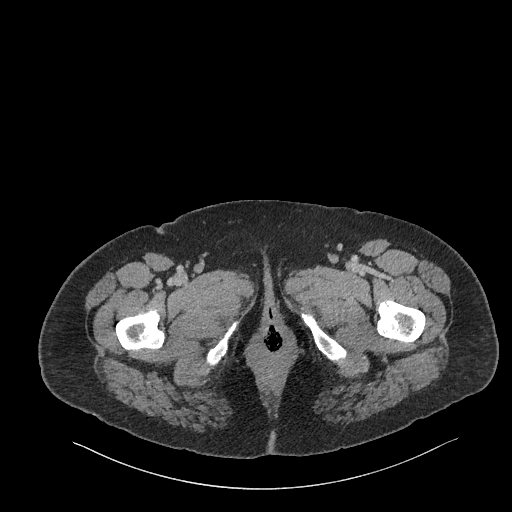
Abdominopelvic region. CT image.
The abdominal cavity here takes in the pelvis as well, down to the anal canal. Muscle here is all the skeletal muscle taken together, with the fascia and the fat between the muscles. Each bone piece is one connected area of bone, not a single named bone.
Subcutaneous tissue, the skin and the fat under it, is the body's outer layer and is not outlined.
The muscle appears in 3 outlined pieces: piece 1: 154 250; 198 274; 218 268; 238 269; 250 275; 257 284; 257 298; 241 324; 232 359; 223 376; 221 391; 232 403; 234 413; 229 423; 221 429; 191 432; 128 407; 108 395; 92 367; 96 350; 84 330; 87 292; 110 266; 132 254, around holes outlined by 150 309; 155 309; 159 314; 158 326; 163 330; 165 335; 163 344; 161 347; 156 349; 152 349; 151 348; 142 348; 138 350; 127 350; 125 349; 120 344; 118 340; 115 332; 115 324; 120 319; 124 317; 132 316; 140 312; 145 312 and by 235 320; 237 320; 238 321; 238 323; 234 331; 228 340; 228 347; 225 355; 222 357; 217 364; 213 366; 210 366; 208 365; 205 361; 205 356; 207 351; 211 347; 214 346; 217 343; 217 342; 223 336; 224 333; 230 324; piece 2: 373 238; 386 238; 412 246; 449 276; 453 301; 453 321; 446 334; 449 361; 434 385; 393 407; 345 425; 328 423; 310 409; 328 374; 313 356; 298 317; 286 305; 281 294; 281 280; 289 270; 297 267; 319 263; 341 267; 362 242 with holes at 388 299; 392 299; 398 303; 417 308; 421 310; 424 313; 425 315; 425 325; 424 326; 424 329; 420 336; 417 339; 412 342; 403 342; 399 340; 384 337; 378 333; 376 326; 377 325; 377 321; 379 318; 379 314; 376 309; 380 302 and at 301 312; 309 312; 312 314; 315 318; 318 325; 326 333; 335 339; 346 349; 347 351; 347 355; 345 358; 340 359; 335 362; 332 360; 328 359; 317 348; 314 342; 314 339; 310 329; 305 324; 304 321; 300 315; 300 313; piece 3: 263 278; 268 278; 272 281; 274 295; 280 307; 283 319; 286 325; 295 335; 299 346; 298 357; 291 369; 281 399; 279 411; 274 418; 271 418; 267 414; 266 408; 259 398; 255 377; 245 363; 243 354; 253 331; 262 317 with a hole at 269 303; 272 303; 274 305; 275 312; 280 320; 279 322; 287 332; 293 344; 293 349; 285 363; 278 384; 276 388; 273 389; 272 391; 266 388; 262 383; 260 375; 251 359; 253 345; 262 328; 262 324; 265 318; 265 308. The bones appear in 4 outlined pieces: piece 1: 388 299; 392 299; 398 303; 417 308; 421 310; 424 313; 425 315; 425 325; 424 326; 424 329; 420 336; 417 339; 412 342; 403 342; 399 340; 384 337; 378 333; 376 326; 377 325; 377 321; 379 318; 379 314; 376 309; 380 302; piece 2: 150 309; 155 309; 159 314; 158 326; 163 330; 165 335; 163 344; 161 347; 156 349; 152 349; 151 348; 142 348; 138 350; 127 350; 125 349; 120 344; 118 340; 115 332; 115 324; 120 319; 124 317; 132 316; 140 312; 145 312; piece 3: 301 312; 309 312; 312 314; 315 318; 318 325; 326 333; 335 339; 346 349; 347 351; 347 355; 345 358; 340 359; 335 362; 332 360; 328 359; 317 348; 314 342; 314 339; 310 329; 305 324; 304 321; 300 315; 300 313; piece 4: 235 320; 237 320; 238 321; 238 323; 234 331; 228 340; 228 347; 225 355; 222 357; 217 364; 213 366; 210 366; 208 365; 205 361; 205 356; 207 351; 211 347; 214 346; 217 343; 217 342; 223 336; 224 333; 230 324. The abdominal cavity is outlined by 269 303; 272 303; 274 305; 275 312; 280 320; 279 322; 287 332; 293 344; 293 349; 285 363; 278 384; 276 388; 273 389; 272 391; 266 388; 262 383; 260 375; 251 359; 253 345; 262 328; 262 324; 265 318; 265 308. The torso is outlined by 245 199; 377 211; 415 223; 447 242; 472 268; 494 320; 499 357; 490 382; 479 392; 365 443; 305 456; 268 454; 250 459; 210 456; 157 444; 57 398; 41 377; 38 340; 45 315; 74 267; 104 243; 136 227; 158 226; 200 207.